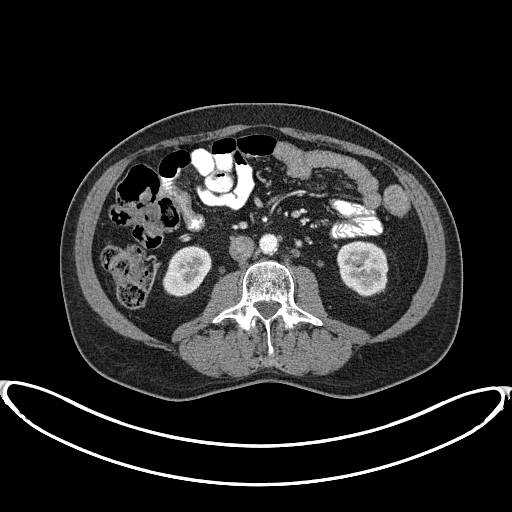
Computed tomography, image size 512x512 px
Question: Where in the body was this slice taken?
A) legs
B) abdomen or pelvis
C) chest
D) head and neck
Answer: B) abdomen or pelvis
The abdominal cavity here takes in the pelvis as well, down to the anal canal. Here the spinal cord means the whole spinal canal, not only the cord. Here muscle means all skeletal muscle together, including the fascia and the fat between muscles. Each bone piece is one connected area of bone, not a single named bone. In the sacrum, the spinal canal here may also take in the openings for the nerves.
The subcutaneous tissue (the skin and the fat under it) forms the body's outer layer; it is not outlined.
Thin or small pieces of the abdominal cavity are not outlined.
{"muscle":[{"outer":[[236,378],[247,376],[252,373],[255,373],[260,369],[264,368],[267,369],[269,368],[276,368],[287,374],[291,374],[297,376],[301,376],[302,375],[325,375],[328,373],[333,372],[341,367],[363,345],[379,342],[380,341],[384,341],[390,338],[396,337],[413,327],[423,318],[432,306],[438,295],[445,270],[445,253],[446,251],[445,250],[445,240],[444,239],[443,227],[441,224],[441,220],[439,217],[438,212],[431,198],[425,189],[411,173],[375,151],[363,146],[323,134],[313,133],[292,127],[281,127],[265,123],[250,124],[249,125],[235,124],[211,131],[200,132],[195,134],[189,134],[169,139],[165,139],[154,143],[149,146],[141,148],[127,155],[114,163],[104,171],[89,191],[83,203],[78,218],[76,234],[75,235],[74,254],[75,255],[76,272],[79,284],[81,287],[81,290],[85,299],[95,314],[106,325],[116,332],[132,339],[142,341],[147,345],[162,348],[167,351],[169,351],[173,355],[178,356],[181,358],[191,367],[202,374],[211,377],[220,377],[221,376],[222,377],[230,377],[231,376]],"hole":[[268,355],[274,321],[322,325],[294,302],[293,265],[314,272],[330,317],[371,334],[407,309],[427,254],[406,190],[381,161],[271,128],[138,156],[94,233],[105,293],[167,340],[239,270],[240,300],[212,322],[230,317],[249,331],[260,321]]}],"abdominal_cavity":[[[163,340],[201,313],[221,276],[239,270],[242,278],[250,264],[266,259],[290,270],[298,264],[311,269],[330,317],[371,334],[385,329],[407,309],[427,259],[424,234],[406,190],[381,161],[271,128],[250,128],[138,156],[103,204],[92,258],[116,308]]],"torso":[[[170,401],[262,382],[355,398],[399,384],[437,364],[458,329],[463,260],[450,208],[425,169],[395,143],[355,120],[321,108],[278,102],[214,104],[178,112],[146,125],[106,152],[78,185],[62,226],[59,265],[67,321],[79,353],[96,372],[125,387]]],"spinal_cord":[[[266,318],[267,317],[269,317],[271,316],[280,307],[280,304],[279,303],[277,302],[275,302],[274,301],[269,301],[268,302],[266,302],[265,301],[260,301],[259,302],[256,302],[254,304],[254,306],[259,311],[259,312],[264,317]]],"bones":[{"outer":[[268,355],[273,353],[270,326],[274,321],[281,320],[286,329],[293,329],[299,321],[322,325],[319,318],[294,302],[291,272],[273,260],[250,265],[242,279],[240,300],[212,319],[217,323],[227,317],[234,318],[238,327],[247,331],[260,321],[267,334]],"hole":[[266,318],[267,317],[269,317],[271,316],[280,307],[280,304],[279,303],[277,302],[275,302],[274,301],[269,301],[268,302],[266,302],[265,301],[260,301],[259,302],[256,302],[254,304],[254,306],[259,311],[259,312],[264,317]]}]}